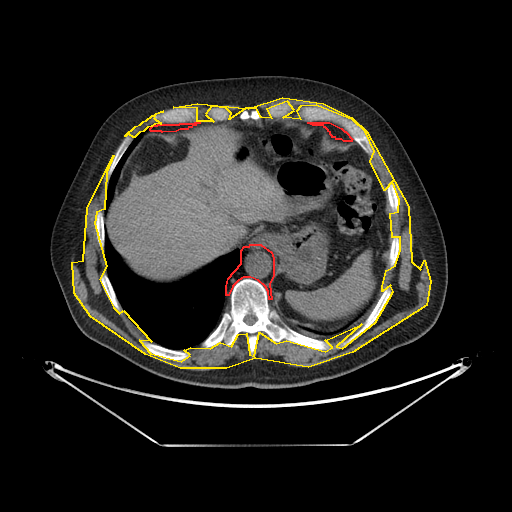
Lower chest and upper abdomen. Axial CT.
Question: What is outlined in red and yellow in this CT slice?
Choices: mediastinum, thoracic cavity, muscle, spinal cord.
Answer: red: mediastinum; yellow: muscle.
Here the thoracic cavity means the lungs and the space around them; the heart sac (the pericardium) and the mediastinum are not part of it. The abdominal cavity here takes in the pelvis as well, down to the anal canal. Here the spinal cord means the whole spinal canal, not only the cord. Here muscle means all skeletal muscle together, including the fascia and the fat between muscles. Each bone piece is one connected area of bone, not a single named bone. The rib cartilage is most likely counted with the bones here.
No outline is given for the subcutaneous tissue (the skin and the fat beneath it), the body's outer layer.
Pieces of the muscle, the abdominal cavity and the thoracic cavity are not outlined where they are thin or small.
The mediastinum appears in 3 outlined pieces: piece 1: [[250,244],[260,244],[271,252],[273,258],[273,275],[269,284],[271,299],[269,299],[268,291],[265,286],[258,280],[250,277],[243,277],[238,280],[232,286],[228,295],[226,295],[226,286],[228,278],[241,263],[241,250],[244,246],[249,246]]; piece 2: [[308,122],[329,122],[341,128],[344,131],[345,131],[352,139],[351,141],[344,141],[341,139],[336,139],[335,137],[332,137],[332,136],[330,134],[330,132],[328,131],[328,130],[325,127],[324,127],[323,125],[313,125],[312,124],[310,124],[308,123]]; piece 3: [[195,122],[199,122],[199,123],[196,123],[195,125],[192,125],[191,127],[188,127],[187,129],[180,129],[176,131],[162,132],[161,131],[151,131],[150,130],[150,128],[152,126],[154,125],[157,125],[158,124],[179,124],[180,123],[194,123]]. The muscle appears in 2 outlined pieces: piece 1: [[282,97],[323,103],[351,117],[366,131],[408,206],[411,261],[420,269],[424,260],[430,281],[426,305],[352,352],[308,367],[255,358],[226,368],[180,368],[145,354],[90,316],[74,293],[72,262],[83,260],[87,208],[113,155],[106,172],[104,209],[96,212],[94,223],[106,266],[99,279],[113,307],[119,313],[123,310],[151,341],[139,340],[150,353],[181,361],[190,355],[184,350],[190,347],[210,348],[220,342],[231,346],[238,334],[246,333],[249,354],[254,356],[259,332],[276,343],[286,340],[325,351],[332,347],[325,340],[361,324],[336,346],[342,348],[375,322],[393,291],[390,285],[382,291],[382,286],[386,270],[395,265],[400,250],[400,237],[392,237],[390,213],[398,211],[399,199],[392,181],[384,190],[370,161],[374,151],[365,131],[353,120],[316,105],[300,106],[296,111],[300,119],[283,117],[294,110],[287,101],[266,109],[271,118],[261,117],[256,108],[245,108],[229,119],[231,113],[226,108],[211,106],[205,114],[213,121],[197,121],[197,108],[173,107],[197,103],[248,108]]; piece 2: [[161,111],[163,111],[155,114],[153,117],[156,120],[157,120],[160,123],[161,123],[154,124],[151,126],[147,127],[143,131],[139,132],[134,137],[133,137],[129,134],[127,134],[125,136],[125,135],[135,126],[140,124],[143,121],[146,120],[152,115]]. The torso is outlined by [[251,75],[287,75],[326,82],[355,94],[383,116],[410,157],[438,217],[448,263],[445,300],[435,324],[420,338],[333,379],[280,389],[225,389],[176,382],[138,367],[92,341],[77,327],[51,265],[51,232],[93,137],[117,107],[141,93],[168,84]]. The bones appear in 13 outlined pieces: piece 1: [[243,278],[256,280],[264,286],[270,307],[292,329],[327,341],[331,347],[321,350],[286,339],[276,342],[264,331],[257,333],[254,355],[250,354],[246,332],[238,333],[231,345],[220,341],[203,347],[201,343],[217,326],[222,314],[230,309],[233,286]], around a hole outlined by [[249,313],[252,313],[256,317],[256,320],[255,321],[255,322],[254,323],[253,323],[252,324],[251,324],[250,325],[249,325],[248,324],[247,324],[244,321],[244,317],[247,314],[248,314]]; piece 2: [[302,106],[316,106],[321,108],[325,108],[353,121],[356,124],[357,124],[366,134],[370,142],[370,145],[373,151],[372,154],[370,154],[369,155],[340,125],[336,123],[334,123],[331,121],[305,121],[301,119],[298,116],[297,114],[297,111],[298,109]]; piece 3: [[387,286],[390,286],[391,287],[392,291],[391,292],[390,298],[380,315],[374,321],[374,322],[357,338],[356,338],[350,343],[342,347],[337,348],[337,346],[342,341],[348,338],[362,325],[363,322],[374,307],[376,302],[378,300],[382,292]]; piece 4: [[184,107],[185,108],[195,108],[198,110],[198,115],[197,116],[197,120],[194,122],[180,122],[179,123],[162,123],[154,117],[155,115],[157,114],[159,114],[164,111],[166,111],[167,110],[169,110],[173,108],[183,108]]; piece 5: [[141,339],[155,343],[160,346],[162,346],[168,349],[171,349],[172,350],[183,350],[184,351],[186,351],[189,354],[189,355],[186,358],[184,358],[181,360],[166,359],[165,358],[160,357],[150,352],[147,349],[146,349],[140,342],[140,340]]; piece 6: [[103,272],[107,274],[107,276],[111,283],[111,285],[115,293],[116,298],[119,302],[122,308],[122,312],[119,312],[114,307],[114,306],[111,303],[111,302],[107,297],[103,289],[103,287],[101,283],[101,280],[100,279],[100,275],[101,273]]; piece 7: [[127,135],[131,136],[133,138],[133,139],[126,149],[126,150],[124,152],[124,153],[121,156],[118,162],[116,164],[109,178],[107,177],[107,172],[110,166],[110,164],[112,161],[112,159],[119,145],[121,143],[122,140],[124,138],[124,137],[125,137]]; piece 8: [[280,102],[287,102],[289,103],[292,106],[293,108],[293,110],[289,114],[285,116],[283,116],[282,117],[279,117],[278,118],[276,118],[275,117],[272,117],[268,115],[266,112],[267,111],[267,109],[270,106],[274,104],[279,103]]; piece 9: [[99,210],[100,210],[103,212],[103,222],[104,223],[104,250],[103,251],[100,248],[100,246],[98,243],[98,240],[97,239],[97,234],[96,233],[96,229],[95,228],[95,223],[96,222],[96,215],[97,214],[97,212]]; piece 10: [[211,107],[221,107],[222,108],[224,108],[225,109],[226,109],[230,113],[230,115],[229,116],[229,117],[225,120],[223,120],[222,121],[214,121],[213,120],[212,120],[209,117],[208,117],[206,114],[206,112],[207,111],[207,110]]; piece 11: [[389,182],[392,182],[393,183],[395,187],[396,192],[397,193],[397,198],[398,199],[398,207],[397,208],[397,211],[396,212],[392,212],[390,210],[390,207],[389,206],[388,200],[387,199],[387,194],[386,193],[386,190],[387,189],[387,185]]; piece 12: [[395,235],[397,235],[399,237],[399,250],[398,251],[398,254],[397,255],[397,258],[396,259],[396,261],[395,262],[394,265],[392,267],[390,267],[388,265],[388,261],[389,260],[389,252],[390,251],[390,245],[391,244],[391,241],[392,240],[392,238]]; piece 13: [[245,109],[249,112],[253,109],[256,109],[257,110],[258,110],[260,112],[260,118],[259,119],[251,119],[250,118],[249,118],[248,119],[245,119],[244,120],[243,120],[242,119],[240,119],[239,118],[239,115],[241,113],[241,112]]. The spinal cord is outlined by [[249,313],[252,313],[256,317],[256,320],[255,321],[255,322],[254,323],[253,323],[252,324],[251,324],[250,325],[249,325],[248,324],[247,324],[244,321],[244,317],[247,314],[248,314]]. The abdominal cavity is outlined by [[234,118],[302,120],[323,126],[336,140],[353,140],[369,156],[386,194],[391,240],[381,293],[355,321],[329,332],[286,323],[269,302],[274,258],[260,243],[236,248],[171,283],[137,275],[112,245],[104,212],[126,159],[145,132],[176,132],[200,122]]. The thoracic cavity appears in 3 outlined pieces: piece 1: [[105,229],[111,245],[125,265],[137,276],[158,284],[178,282],[218,258],[236,249],[240,250],[240,263],[228,276],[225,286],[225,295],[229,294],[229,309],[221,314],[216,326],[200,343],[185,349],[168,348],[153,342],[130,320],[117,298],[107,273]]; piece 2: [[149,127],[150,127],[149,129],[144,132],[139,141],[137,142],[125,159],[125,161],[119,172],[119,175],[117,178],[117,181],[113,191],[113,195],[109,205],[106,210],[104,211],[105,210],[107,188],[110,177],[113,171],[134,138],[139,133],[143,132]]; piece 3: [[375,299],[377,299],[377,300],[364,320],[357,327],[355,327],[349,332],[340,335],[338,337],[335,337],[331,339],[316,338],[301,333],[291,327],[302,331],[311,331],[316,333],[329,333],[333,332],[344,328],[346,326],[355,322],[373,303],[373,301]].